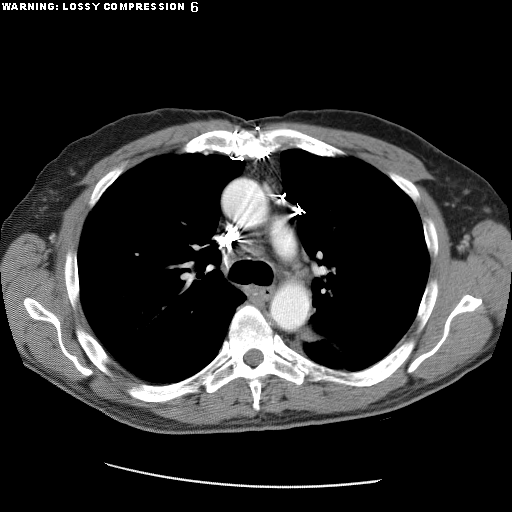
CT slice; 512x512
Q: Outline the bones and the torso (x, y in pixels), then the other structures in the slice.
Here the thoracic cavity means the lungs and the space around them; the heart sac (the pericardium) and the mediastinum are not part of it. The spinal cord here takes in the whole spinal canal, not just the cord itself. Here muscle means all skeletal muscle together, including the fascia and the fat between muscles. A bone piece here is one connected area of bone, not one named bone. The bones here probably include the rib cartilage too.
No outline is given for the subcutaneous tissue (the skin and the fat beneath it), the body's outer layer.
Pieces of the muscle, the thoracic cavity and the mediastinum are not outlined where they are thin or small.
A: {"bones":[{"outer":[[244,304],[256,307],[290,348],[336,370],[363,370],[405,341],[414,339],[415,345],[394,372],[368,386],[307,376],[296,384],[267,374],[257,411],[243,377],[213,392],[201,386],[163,402],[143,401],[127,393],[132,383],[171,384],[201,370],[219,352]],"hole":[[251,349],[256,349],[257,350],[259,350],[261,352],[261,353],[262,354],[262,356],[263,357],[261,362],[260,362],[257,365],[256,365],[255,366],[252,366],[251,365],[249,365],[247,363],[246,363],[244,360],[244,355],[249,350],[250,350]]},[[236,126],[240,130],[244,129],[255,135],[259,131],[275,128],[295,129],[332,145],[347,155],[322,156],[298,147],[278,148],[263,157],[245,155],[241,159],[216,151],[207,154],[202,152],[179,153],[179,150],[188,141],[202,133],[216,129],[232,131]],[[26,297],[36,300],[57,317],[60,324],[61,339],[64,347],[70,354],[77,358],[78,362],[82,366],[92,370],[93,373],[91,375],[83,375],[76,368],[73,362],[63,353],[57,338],[57,330],[52,323],[44,320],[36,320],[29,315],[23,303]],[[465,294],[469,294],[481,298],[482,300],[481,304],[472,311],[465,311],[455,315],[450,322],[449,332],[438,349],[433,354],[424,359],[413,371],[410,373],[407,372],[407,368],[409,364],[418,356],[433,348],[441,338],[443,334],[443,328],[449,314]],[[78,325],[81,326],[86,331],[91,334],[99,342],[99,343],[105,350],[107,354],[113,361],[113,362],[108,366],[111,372],[111,376],[109,376],[101,371],[89,359],[89,358],[87,356],[83,348],[79,343],[77,339],[76,334],[75,333],[75,329]],[[70,249],[73,249],[75,250],[77,253],[77,274],[78,275],[78,280],[79,281],[79,302],[77,304],[76,309],[73,309],[71,305],[71,303],[67,293],[67,288],[65,283],[65,272],[64,271],[64,266],[65,265],[65,256],[67,251]],[[431,279],[435,279],[437,281],[437,287],[438,288],[437,296],[435,300],[435,303],[431,311],[431,313],[425,325],[420,332],[417,332],[417,324],[414,320],[416,317],[416,315],[418,311],[418,308],[422,299],[422,296],[424,293],[427,282]],[[123,162],[125,162],[124,171],[122,172],[105,190],[105,191],[101,195],[101,196],[99,198],[99,199],[97,201],[95,205],[90,210],[88,210],[88,202],[89,201],[90,196],[92,193],[92,191],[96,183],[107,172],[111,170],[114,167],[118,166]],[[425,217],[427,217],[431,219],[434,224],[434,226],[436,230],[438,249],[437,250],[437,254],[435,257],[432,257],[430,256],[427,246],[426,245],[425,237],[424,236],[424,230],[423,229],[423,222],[422,221],[423,220],[423,218]],[[388,172],[393,172],[394,173],[396,173],[397,174],[398,174],[399,175],[400,175],[401,176],[406,178],[412,183],[413,183],[415,185],[415,186],[419,193],[419,199],[416,202],[414,202],[413,201],[413,200],[403,190],[402,190],[388,176]]],"torso":[[[160,107],[219,109],[245,119],[295,109],[364,111],[412,130],[480,174],[504,201],[511,234],[510,289],[490,358],[453,383],[389,412],[288,429],[207,434],[164,434],[132,427],[28,369],[16,348],[3,303],[3,220],[44,165],[68,143],[124,115]]],"mediastinum":[[[278,149],[285,149],[279,156],[285,198],[300,209],[293,218],[300,242],[315,268],[311,327],[303,337],[288,344],[256,306],[241,304],[246,296],[224,277],[219,267],[222,252],[214,238],[222,190],[243,171],[242,159],[263,158]]],"spinal_cord":[[[251,349],[256,349],[257,350],[259,350],[261,352],[261,353],[262,354],[262,356],[263,357],[261,362],[260,362],[257,365],[256,365],[255,366],[252,366],[251,365],[249,365],[247,363],[246,363],[244,360],[244,355],[249,350],[250,350]]],"thoracic_cavity":[[[171,152],[205,155],[216,152],[244,161],[242,171],[221,190],[213,238],[221,252],[218,267],[223,277],[242,292],[245,299],[235,309],[218,352],[206,365],[179,381],[150,384],[111,358],[94,336],[80,302],[77,252],[88,213],[117,178],[148,158]],[[289,148],[322,157],[351,156],[371,165],[412,200],[421,219],[429,270],[415,317],[395,347],[363,369],[332,368],[288,345],[304,337],[312,327],[310,320],[316,310],[312,290],[316,268],[301,242],[294,218],[301,209],[286,198],[282,184],[280,156]]],"muscle":[{"outer":[[219,118],[227,119],[247,129],[252,129],[268,122],[292,121],[354,131],[381,139],[411,153],[423,163],[426,169],[434,177],[434,179],[421,180],[419,183],[432,197],[441,212],[447,228],[449,239],[452,244],[450,250],[451,255],[453,257],[464,258],[466,256],[466,235],[470,233],[472,228],[478,222],[490,218],[502,223],[511,234],[511,279],[505,309],[506,312],[497,342],[488,347],[472,360],[446,376],[413,389],[411,391],[403,391],[396,394],[388,394],[385,397],[371,403],[365,408],[357,408],[348,411],[339,411],[331,413],[312,413],[307,410],[289,410],[283,414],[265,412],[263,414],[258,413],[253,417],[231,418],[217,424],[186,423],[174,419],[165,418],[144,411],[140,407],[128,404],[109,401],[96,401],[78,391],[61,378],[45,371],[20,355],[18,353],[8,325],[0,282],[0,262],[11,242],[25,232],[35,233],[42,238],[46,239],[52,232],[57,231],[61,225],[62,213],[85,187],[84,185],[78,183],[96,162],[123,145],[142,136],[172,125],[183,124],[196,120],[208,120]],"holes":[[[236,126],[255,135],[295,129],[415,185],[419,216],[431,219],[437,234],[427,280],[438,290],[422,330],[414,321],[395,346],[414,339],[410,354],[383,380],[354,386],[306,376],[296,384],[267,374],[257,411],[243,377],[213,392],[201,386],[149,402],[126,391],[141,379],[114,360],[105,374],[79,343],[78,325],[94,334],[81,303],[71,305],[65,256],[78,251],[96,183],[123,162],[126,171],[177,153],[202,133]],[[26,297],[36,300],[57,317],[60,324],[61,339],[64,347],[70,354],[77,358],[78,362],[82,366],[92,370],[93,373],[91,375],[83,375],[76,368],[73,362],[63,353],[57,338],[57,330],[52,323],[44,320],[36,320],[29,315],[23,303]],[[465,294],[469,294],[481,298],[482,300],[481,304],[472,311],[465,311],[455,315],[450,322],[449,332],[438,349],[433,354],[424,359],[413,371],[410,373],[407,372],[407,368],[409,364],[418,356],[433,348],[441,338],[443,334],[443,328],[449,314]]]}]}